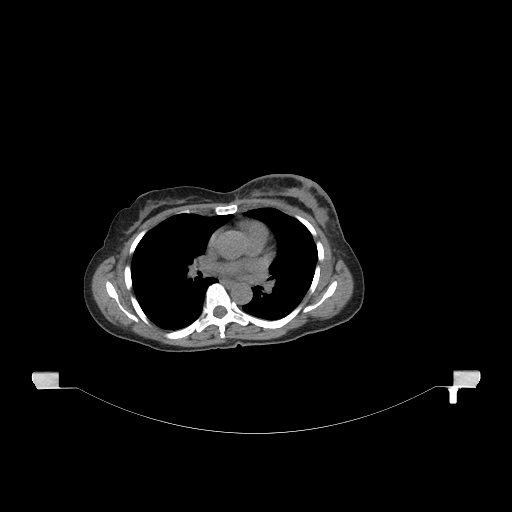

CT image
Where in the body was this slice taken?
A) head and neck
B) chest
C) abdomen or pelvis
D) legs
B) chest
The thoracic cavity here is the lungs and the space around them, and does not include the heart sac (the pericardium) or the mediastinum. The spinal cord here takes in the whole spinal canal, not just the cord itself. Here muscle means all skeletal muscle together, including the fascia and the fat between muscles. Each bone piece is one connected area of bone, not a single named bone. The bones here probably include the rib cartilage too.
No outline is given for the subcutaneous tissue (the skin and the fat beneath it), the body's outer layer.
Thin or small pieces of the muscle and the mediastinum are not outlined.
Outlined structures:
pericardium: 248 217; 258 220; 265 224; 272 232; 275 238; 276 241; 276 253; 269 266; 264 269; 259 274; 254 277; 250 277; 249 278; 229 277; 211 268; 209 265; 206 253; 206 247; 211 235; 217 229; 224 225; 227 225; 238 219; 246 219
thoracic cavity 1: 183 213; 196 213; 207 216; 231 215; 231 217; 212 232; 205 250; 199 258; 204 275; 217 279; 216 282; 209 284; 205 290; 201 312; 188 325; 179 329; 168 330; 152 322; 138 302; 133 290; 131 261; 137 245; 149 230; 170 216
thoracic cavity 2: 260 207; 275 208; 298 220; 313 237; 317 253; 317 263; 305 295; 291 311; 277 319; 260 318; 241 308; 252 300; 253 289; 256 284; 260 284; 269 277; 269 267; 277 253; 277 241; 270 228; 262 221; 247 216; 244 213; 250 209
bones 1: 317 264; 319 279; 305 304; 316 302; 333 281; 337 282; 334 292; 317 307; 300 311; 281 327; 231 321; 225 326; 223 338; 214 324; 177 339; 164 336; 188 326; 200 315; 208 286; 217 282; 244 312; 264 320; 280 319; 307 295 with a hole at 217 306; 222 306; 223 307; 224 307; 225 308; 225 309; 226 310; 226 312; 225 313; 225 314; 224 314; 221 317; 218 317; 217 316; 216 316; 214 314; 214 309
bones 2: 106 281; 109 281; 113 285; 116 290; 120 303; 130 313; 134 315; 136 314; 136 312; 130 299; 131 295; 134 295; 141 309; 149 320; 150 324; 145 323; 140 318; 137 321; 134 321; 128 317; 119 308; 115 299; 108 294; 105 285
bones 3: 234 203; 235 204; 237 204; 238 205; 238 211; 237 212; 236 212; 235 213; 233 213; 232 214; 215 214; 215 213; 214 212; 214 208; 216 206; 222 206; 223 205; 227 205; 228 204; 233 204
bones 4: 127 264; 128 264; 129 265; 130 265; 130 273; 131 274; 131 284; 132 285; 132 288; 130 290; 128 290; 127 289; 127 288; 126 287; 126 284; 125 283; 125 280; 124 279; 124 269; 125 268; 125 266
bones 5: 295 214; 297 214; 301 217; 306 219; 313 226; 313 227; 316 232; 316 236; 315 237; 314 237; 312 235; 312 234; 310 232; 310 231; 306 227; 306 226; 305 225; 304 225; 298 219; 297 219; 295 217; 294 217; 294 215
bones 6: 144 229; 146 229; 147 231; 140 239; 140 240; 136 245; 135 247; 135 249; 132 255; 130 255; 129 254; 129 249; 130 248; 130 246; 132 242; 134 240; 136 236; 142 230
bones 7: 317 240; 318 240; 319 241; 320 241; 320 242; 322 244; 322 246; 323 247; 323 259; 321 261; 318 261; 318 253; 317 252; 317 247; 316 246; 316 241
bones 8: 183 209; 190 209; 191 210; 195 210; 197 212; 189 212; 188 213; 186 213; 185 212; 183 212; 182 213; 176 213; 176 212; 177 212; 178 211; 180 211; 181 210; 182 210
torso: 270 173; 293 173; 310 178; 330 197; 344 237; 363 271; 364 299; 352 318; 329 329; 283 343; 238 345; 193 352; 156 350; 114 336; 95 322; 84 302; 83 276; 120 209; 129 206; 141 193; 152 189; 193 185; 225 192
muscle: 242 198; 268 198; 269 199; 277 199; 278 200; 283 201; 289 205; 297 207; 299 209; 304 211; 311 216; 317 225; 324 233; 329 243; 333 245; 333 247; 336 252; 336 254; 343 260; 345 264; 348 267; 353 278; 354 286; 353 287; 353 292; 352 293; 352 295; 347 303; 338 313; 326 319; 310 320; 296 328; 290 329; 285 334; 275 338; 271 338; 270 339; 241 339; 240 338; 229 338; 223 343; 215 343; 214 344; 209 344; 208 345; 203 345; 202 346; 180 346; 179 345; 172 345; 171 344; 166 344; 150 338; 146 338; 128 329; 125 329; 110 322; 103 315; 99 309; 92 294; 92 290; 91 289; 91 281; 92 280; 93 274; 96 268; 102 261; 110 256; 115 256; 120 253; 124 245; 124 243; 133 234; 133 233; 134 233; 137 230; 138 227; 142 223; 149 218; 159 213; 161 211; 163 211; 171 207; 176 207; 180 205; 188 205; 189 204; 196 204; 197 203; 210 203; 211 202; 228 203; 235 199; 241 199, around a hole outlined by 234 203; 238 205; 239 212; 272 207; 292 217; 297 214; 306 219; 316 232; 314 241; 322 244; 323 259; 317 262; 320 266; 319 279; 305 304; 316 302; 333 281; 337 285; 332 295; 317 307; 300 311; 281 327; 264 328; 250 322; 241 325; 231 321; 225 326; 223 338; 220 337; 219 328; 210 324; 200 332; 195 330; 184 337; 170 339; 164 336; 169 330; 151 321; 147 324; 140 318; 134 321; 119 308; 115 299; 108 294; 105 284; 109 281; 122 306; 136 314; 130 299; 135 294; 132 288; 128 290; 126 287; 124 269; 131 264; 129 249; 142 230; 150 230; 183 209; 195 210; 197 214; 207 216; 215 214; 216 206
spinal cord: 217 306; 222 306; 223 307; 224 307; 225 308; 225 309; 226 310; 226 312; 225 313; 225 314; 224 314; 221 317; 218 317; 217 316; 216 316; 214 314; 214 309
mediastinum 1: 205 251; 209 267; 226 277; 238 279; 254 278; 267 268; 269 270; 268 277; 260 283; 255 284; 252 289; 253 294; 251 300; 239 307; 236 302; 231 299; 226 288; 218 282; 216 277; 205 275; 204 270; 202 269; 202 262; 200 260
mediastinum 2: 245 210; 247 210; 246 210; 243 213; 244 214; 244 215; 247 217; 246 218; 238 218; 227 224; 224 224; 225 224; 229 220; 230 220; 231 219; 231 218; 232 217; 232 215; 233 214; 235 214; 238 212; 241 212; 242 211; 244 211